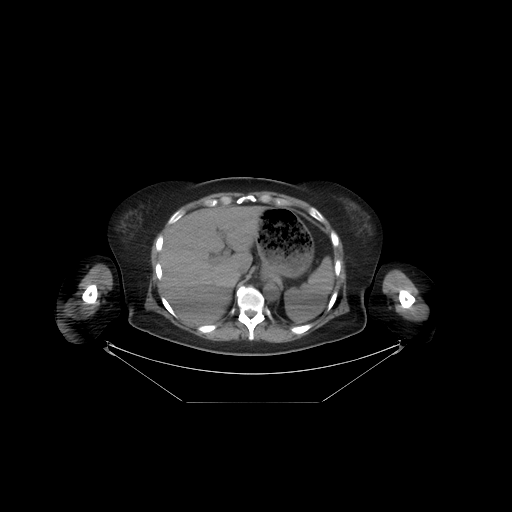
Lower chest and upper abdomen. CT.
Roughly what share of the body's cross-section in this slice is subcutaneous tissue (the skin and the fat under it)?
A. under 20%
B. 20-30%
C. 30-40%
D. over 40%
D. over 40%
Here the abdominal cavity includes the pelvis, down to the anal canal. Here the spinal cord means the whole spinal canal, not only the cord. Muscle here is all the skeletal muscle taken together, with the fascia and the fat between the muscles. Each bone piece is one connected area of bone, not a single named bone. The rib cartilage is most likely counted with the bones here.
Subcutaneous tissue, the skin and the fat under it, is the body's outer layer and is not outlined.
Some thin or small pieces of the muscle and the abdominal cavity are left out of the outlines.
{"torso":[[[229,176],[283,181],[327,179],[352,190],[373,208],[382,223],[383,245],[370,289],[364,294],[367,317],[361,332],[285,354],[236,356],[180,345],[129,324],[128,311],[123,303],[121,269],[106,236],[107,222],[114,208],[137,190],[162,180],[207,180]]],"abdominal_cavity":[[[247,201],[288,206],[315,221],[329,235],[335,283],[325,310],[312,321],[292,325],[272,314],[280,301],[282,284],[271,272],[261,268],[256,268],[237,286],[235,305],[225,318],[215,323],[196,325],[182,319],[164,296],[160,252],[172,224],[196,208]]],"spinal_cord":[[[248,310],[249,310],[250,310],[251,310],[252,310],[253,311],[254,311],[255,312],[255,313],[255,314],[254,315],[253,316],[252,316],[251,317],[250,317],[249,316],[248,316],[247,315],[246,314],[246,313],[246,312],[246,311],[247,311]]],"right_arm":[[[98,253],[105,254],[113,261],[115,260],[120,269],[122,277],[122,286],[121,285],[119,288],[120,300],[122,304],[121,310],[119,315],[112,320],[95,338],[80,344],[72,343],[67,341],[60,335],[53,320],[53,309],[55,301],[67,272],[82,258]]],"bones":[{"outer":[[239,285],[250,285],[256,288],[263,295],[264,303],[269,308],[273,317],[272,319],[266,317],[254,327],[252,340],[249,340],[248,338],[248,328],[238,320],[238,311],[237,310],[233,314],[230,313],[231,309],[234,306],[236,306],[235,293]],"hole":[[248,310],[249,310],[250,310],[251,310],[252,310],[253,311],[254,311],[255,312],[255,313],[255,314],[254,315],[253,316],[252,316],[251,317],[250,317],[249,316],[248,316],[247,315],[246,314],[246,313],[246,312],[246,311],[247,311]]},[[249,194],[253,195],[257,198],[263,194],[267,194],[272,197],[278,197],[285,199],[287,200],[289,203],[288,205],[277,205],[272,202],[268,202],[267,203],[261,201],[255,201],[253,202],[249,200],[244,201],[241,203],[237,203],[235,201],[238,198]],[[89,284],[95,284],[96,285],[96,287],[97,288],[97,297],[96,298],[96,300],[94,303],[92,303],[91,304],[88,304],[87,303],[86,303],[82,299],[82,298],[81,297],[81,296],[82,295],[82,294],[83,293],[84,290],[86,288],[86,287]],[[400,289],[406,289],[407,290],[408,290],[410,292],[410,293],[415,298],[415,301],[411,305],[411,306],[409,308],[403,308],[401,306],[401,304],[400,303],[400,302],[399,301],[399,298],[398,297],[398,295],[399,294],[399,290]],[[222,196],[228,196],[229,197],[231,197],[231,198],[232,199],[232,202],[231,202],[228,204],[222,204],[221,203],[219,203],[217,205],[215,205],[214,206],[208,206],[207,205],[205,205],[204,204],[204,201],[206,199],[218,199],[219,198],[220,198]],[[311,206],[313,206],[315,208],[316,208],[322,214],[322,215],[324,217],[324,221],[323,222],[320,222],[318,220],[317,220],[315,218],[314,218],[312,216],[311,216],[308,213],[308,212],[307,211],[308,210],[308,209]],[[180,208],[181,208],[182,209],[183,209],[185,211],[185,213],[179,219],[178,219],[177,220],[177,221],[176,221],[174,223],[172,223],[171,224],[169,224],[168,223],[168,219],[170,217],[170,216],[176,210],[177,210],[178,209],[179,209]],[[308,323],[311,323],[312,324],[312,326],[309,329],[308,329],[306,331],[305,331],[304,332],[303,332],[302,333],[294,333],[293,332],[292,332],[290,330],[290,328],[291,327],[292,327],[293,326],[298,326],[299,325],[302,325],[303,324],[307,324]],[[209,324],[215,324],[216,325],[216,327],[212,331],[211,331],[210,332],[207,332],[206,333],[204,333],[203,332],[201,332],[200,331],[199,331],[197,329],[197,327],[198,326],[200,326],[201,325],[208,325]],[[162,296],[163,296],[166,299],[166,300],[168,302],[168,303],[171,306],[171,307],[173,309],[173,310],[175,312],[175,313],[177,315],[177,317],[175,317],[174,316],[173,316],[166,309],[166,308],[163,305],[163,304],[161,301],[161,297]],[[331,231],[334,231],[338,235],[338,238],[339,239],[339,242],[338,243],[338,245],[336,247],[333,247],[333,246],[332,245],[332,243],[331,242],[331,240],[330,239],[330,233],[331,232]],[[334,291],[337,291],[337,297],[336,298],[336,300],[335,301],[334,304],[332,306],[332,307],[328,311],[327,311],[327,310],[326,309],[328,306],[328,303],[329,302],[329,301],[330,300],[330,298],[331,297],[331,296],[332,295],[332,294]],[[159,235],[162,235],[163,236],[163,244],[162,245],[162,247],[161,248],[161,250],[160,251],[157,251],[157,250],[156,249],[156,247],[155,246],[155,243],[156,242],[156,239],[157,238],[157,237]],[[157,262],[159,262],[160,263],[160,265],[161,266],[161,272],[162,273],[162,275],[161,276],[161,279],[160,280],[159,280],[158,279],[158,278],[157,277],[157,276],[156,275],[156,273],[155,272],[155,265],[156,264],[156,263]],[[337,259],[338,259],[339,260],[340,260],[340,271],[339,272],[339,274],[338,275],[338,276],[336,276],[336,275],[335,274],[335,271],[334,270],[334,263],[335,262],[335,260],[336,260]]],"muscle":[[[167,220],[167,223],[171,225],[169,229],[164,236],[159,234],[154,243],[156,251],[159,252],[159,261],[154,265],[154,272],[163,294],[160,301],[173,317],[178,316],[197,326],[196,329],[199,332],[204,334],[212,332],[217,327],[217,322],[237,311],[237,320],[247,328],[249,341],[254,339],[255,327],[266,318],[272,320],[274,317],[280,322],[291,325],[289,330],[294,334],[302,334],[309,330],[313,326],[310,322],[326,310],[328,312],[338,297],[338,291],[334,288],[336,277],[341,271],[341,260],[335,259],[334,248],[339,245],[339,236],[344,253],[349,311],[331,319],[309,334],[287,342],[214,341],[184,330],[161,314],[146,310],[144,307],[152,272],[151,247]],{"outer":[[97,263],[102,263],[106,265],[111,271],[112,277],[113,278],[112,291],[110,293],[102,307],[90,319],[82,322],[78,322],[77,321],[72,320],[68,318],[64,314],[63,312],[64,306],[70,294],[78,285],[82,278],[88,272],[88,271]],"hole":[[89,284],[95,284],[96,285],[96,287],[97,288],[97,297],[96,298],[96,300],[94,303],[92,303],[91,304],[88,304],[87,303],[86,303],[82,299],[82,298],[81,297],[81,296],[82,295],[82,294],[83,293],[84,290],[86,288],[86,287]]},{"outer":[[392,269],[399,269],[401,271],[402,271],[413,282],[415,286],[418,289],[420,296],[422,298],[423,301],[429,308],[429,312],[428,313],[427,318],[423,321],[408,322],[403,319],[399,315],[395,313],[389,307],[387,299],[382,291],[382,282],[385,275]],"hole":[[400,289],[406,289],[407,290],[408,290],[410,292],[410,293],[415,298],[415,301],[411,305],[411,306],[409,308],[403,308],[401,306],[401,304],[400,303],[400,302],[399,301],[399,298],[398,297],[398,295],[399,294],[399,290]]},[[263,190],[275,191],[295,197],[298,199],[301,199],[311,205],[307,210],[305,210],[299,206],[289,205],[290,202],[287,199],[278,196],[272,196],[267,193],[263,193],[258,197],[249,193],[238,197],[234,202],[233,202],[232,197],[228,195],[222,195],[218,198],[206,198],[203,201],[204,205],[196,207],[188,211],[187,213],[183,208],[180,207],[191,201],[199,199],[212,193],[227,192],[228,191],[231,192],[249,192]],[[325,217],[329,221],[329,222],[330,223],[330,224],[331,225],[331,226],[335,230],[335,231],[334,230],[331,230],[330,231],[330,232],[330,231],[322,223],[321,223],[323,223],[325,221]]],"mediastinum":[[[256,269],[261,269],[264,271],[271,273],[276,278],[277,278],[281,284],[281,295],[279,297],[279,301],[277,302],[272,311],[270,308],[267,305],[266,305],[264,295],[256,287],[250,284],[249,285],[243,285],[242,284],[243,284],[252,275],[253,272]],[[289,206],[295,206],[296,207],[299,207],[301,209],[306,211],[307,213],[311,217],[312,217],[314,219],[318,221],[321,224],[322,224],[329,231],[329,234],[327,233],[315,220],[314,220],[309,216],[306,215],[301,211],[295,208],[291,208],[289,207]]],"left_arm":[[[390,259],[403,260],[415,265],[432,279],[438,290],[441,300],[441,330],[428,341],[416,342],[405,338],[399,339],[400,338],[397,337],[384,323],[375,321],[369,315],[367,316],[366,307],[368,305],[369,300],[369,291],[375,278],[376,270],[385,261]]]}